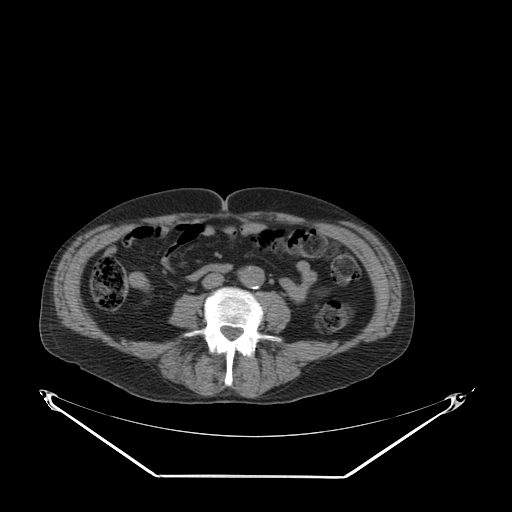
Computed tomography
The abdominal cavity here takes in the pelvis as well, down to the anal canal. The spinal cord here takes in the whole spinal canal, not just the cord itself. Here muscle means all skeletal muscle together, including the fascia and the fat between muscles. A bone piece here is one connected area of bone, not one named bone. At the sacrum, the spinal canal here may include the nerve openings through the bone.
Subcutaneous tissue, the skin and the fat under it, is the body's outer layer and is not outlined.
The torso is outlined by (253, 186) (293, 190) (331, 202) (374, 226) (392, 243) (408, 269) (415, 297) (412, 337) (398, 358) (347, 387) (289, 403) (179, 404) (132, 395) (55, 357) (43, 347) (38, 330) (43, 279) (55, 252) (80, 227) (116, 204) (152, 192) (203, 187) (224, 198) (237, 189). The spinal cord is outlined by (223, 326) (228, 326) (229, 327) (232, 327) (233, 328) (240, 328) (242, 330) (242, 332) (236, 338) (235, 338) (234, 339) (233, 339) (232, 340) (231, 340) (230, 339) (229, 339) (228, 338) (227, 338) (223, 334) (223, 333) (221, 331) (221, 328). The muscle is outlined by (249, 211) (275, 211) (276, 212) (283, 212) (294, 215) (300, 215) (301, 216) (307, 216) (308, 217) (314, 217) (322, 219) (349, 221) (358, 224) (372, 232) (381, 241) (391, 255) (398, 270) (400, 276) (400, 280) (402, 284) (401, 288) (402, 291) (401, 294) (401, 308) (399, 316) (397, 322) (392, 330) (392, 332) (389, 335) (383, 338) (380, 338) (375, 341) (361, 343) (346, 351) (343, 351) (330, 357) (328, 357) (305, 370) (291, 382) (281, 387) (274, 392) (255, 398) (249, 398) (238, 395) (233, 390) (229, 390) (228, 389) (225, 389) (217, 395) (214, 396) (202, 396) (201, 395) (187, 393) (178, 388) (176, 388) (157, 372) (132, 355) (122, 352) (111, 346) (106, 345) (101, 341) (82, 335) (62, 325) (61, 320) (56, 313) (54, 299) (53, 298) (53, 281) (54, 280) (54, 275) (62, 255) (68, 247) (80, 235) (91, 229) (97, 227) (99, 225) (120, 222) (126, 220) (138, 219) (144, 217) (159, 216) (160, 215) (179, 213) (180, 212) (194, 212) (195, 213) (200, 213) (201, 212) (205, 212) (206, 213) (231, 212) (232, 213) (243, 213) with a hole at (212, 218) (339, 240) (371, 282) (369, 321) (347, 340) (288, 340) (286, 301) (259, 291) (258, 330) (281, 340) (261, 339) (252, 357) (237, 351) (231, 386) (225, 354) (183, 335) (205, 326) (205, 293) (175, 300) (173, 338) (107, 333) (81, 295) (90, 257) (139, 224). The abdominal cavity is outlined by (212, 218) (302, 225) (339, 240) (359, 258) (371, 282) (369, 321) (347, 340) (288, 340) (280, 334) (292, 315) (279, 293) (255, 295) (224, 285) (206, 296) (184, 293) (175, 300) (167, 322) (182, 330) (173, 338) (154, 341) (107, 333) (81, 295) (90, 257) (139, 224). The bones are outlined by (224, 286) (234, 286) (252, 293) (263, 308) (263, 318) (258, 330) (281, 338) (280, 341) (261, 339) (256, 344) (252, 357) (237, 351) (232, 364) (231, 386) (224, 384) (225, 354) (209, 353) (202, 335) (183, 335) (185, 332) (205, 326) (203, 310) (205, 298) (212, 291); inner edge: (223, 326) (228, 326) (229, 327) (232, 327) (233, 328) (240, 328) (242, 330) (242, 332) (236, 338) (235, 338) (234, 339) (233, 339) (232, 340) (231, 340) (230, 339) (229, 339) (228, 338) (227, 338) (223, 334) (223, 333) (221, 331) (221, 328).